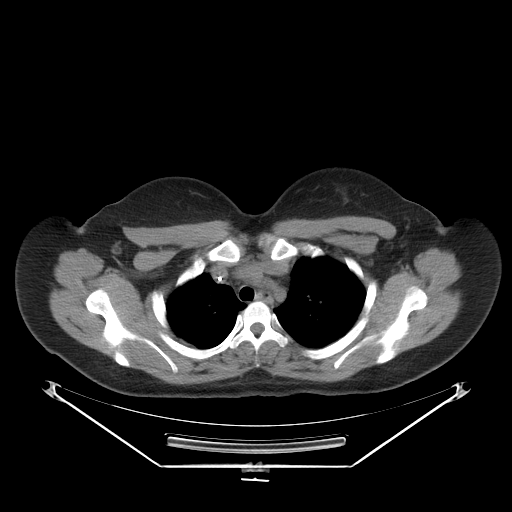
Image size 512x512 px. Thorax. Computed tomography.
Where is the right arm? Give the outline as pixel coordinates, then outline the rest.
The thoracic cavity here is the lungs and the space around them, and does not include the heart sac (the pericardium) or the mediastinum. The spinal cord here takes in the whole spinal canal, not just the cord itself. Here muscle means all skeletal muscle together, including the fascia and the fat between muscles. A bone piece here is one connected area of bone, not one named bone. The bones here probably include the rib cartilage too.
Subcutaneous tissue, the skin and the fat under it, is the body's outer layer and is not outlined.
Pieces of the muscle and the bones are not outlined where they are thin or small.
Outlined structures:
right arm: [[51,213],[62,213],[63,214],[67,215],[75,224],[75,230],[74,231],[74,234],[72,238],[66,244],[57,249],[54,249],[53,250],[41,250],[40,249],[37,249],[33,247],[27,241],[25,237],[25,234],[28,230],[28,229],[36,221]]
left arm: [[462,213],[470,213],[471,214],[476,215],[480,218],[483,219],[490,226],[494,232],[500,246],[497,248],[494,248],[489,250],[481,250],[480,249],[477,249],[473,247],[467,246],[461,243],[454,236],[452,232],[452,229],[451,228],[451,222],[456,216]]
spinal cord: [[254,323],[260,323],[263,326],[263,330],[258,335],[256,335],[251,330],[251,329],[250,328],[250,327]]
muscle: [[341,215],[384,219],[396,227],[395,236],[378,246],[376,262],[370,268],[381,282],[397,264],[433,246],[453,251],[462,265],[463,304],[443,332],[431,341],[397,355],[398,342],[408,333],[410,313],[422,310],[428,303],[427,293],[421,287],[411,285],[406,289],[394,319],[384,329],[364,336],[333,362],[333,368],[337,370],[350,354],[363,346],[381,347],[374,361],[376,365],[347,379],[318,382],[273,376],[257,368],[240,377],[197,384],[170,384],[130,368],[130,360],[119,349],[114,350],[112,360],[80,343],[58,325],[49,308],[53,267],[65,250],[83,247],[115,264],[132,267],[134,245],[125,237],[122,226],[162,227],[227,220],[237,229],[252,234],[280,220]]; inner edges: [[281,237],[297,246],[319,246],[325,256],[342,263],[344,256],[353,258],[361,267],[365,288],[375,280],[368,321],[348,346],[331,356],[312,359],[301,352],[307,347],[293,338],[283,347],[267,340],[257,354],[245,340],[235,348],[197,360],[161,339],[158,331],[162,331],[189,345],[157,320],[151,294],[160,290],[167,299],[195,255],[207,265],[206,253],[230,238],[241,248],[240,261],[256,256],[270,262],[273,245]], then [[98,288],[103,289],[107,293],[111,305],[121,323],[131,332],[149,339],[158,346],[176,365],[176,372],[173,372],[166,360],[145,342],[126,339],[119,346],[111,347],[103,336],[105,319],[100,314],[90,312],[85,305],[85,300],[87,296],[92,291]]
mediastinum: [[300,253],[303,255],[295,262],[290,272],[290,285],[286,299],[273,310],[261,300],[253,300],[247,304],[240,301],[229,285],[217,283],[209,273],[204,271],[206,266],[210,262],[225,262],[226,264],[230,265],[254,256],[270,262],[282,261],[297,256]]
torso: [[334,165],[383,179],[450,223],[461,244],[501,249],[502,277],[483,325],[459,353],[423,377],[392,390],[344,396],[133,397],[84,377],[26,327],[14,290],[24,235],[37,250],[57,250],[100,208],[168,175],[202,179],[245,212],[259,213],[300,176]]
bones 1: [[253,301],[261,301],[266,304],[292,338],[283,347],[270,339],[260,346],[256,354],[252,344],[245,340],[235,348],[229,347],[212,356],[197,360],[172,349],[158,335],[158,331],[162,331],[182,344],[199,349],[213,347],[228,335],[235,324],[238,313]] with a hole at [[254,323],[260,323],[263,326],[263,330],[258,335],[256,335],[251,330],[251,329],[250,328],[250,327]]
bones 2: [[411,286],[417,286],[426,293],[427,303],[422,309],[409,313],[407,333],[397,342],[397,354],[388,361],[377,364],[375,361],[382,347],[379,344],[370,343],[350,353],[337,369],[334,368],[334,362],[342,353],[364,337],[384,330],[395,319],[407,289]]
bones 3: [[98,288],[103,289],[107,293],[111,305],[121,323],[131,332],[149,339],[158,346],[176,365],[176,372],[173,372],[166,360],[145,342],[126,339],[119,346],[111,347],[103,336],[105,319],[100,314],[90,312],[85,305],[85,300],[87,296],[92,291]]
bones 4: [[371,280],[375,280],[376,282],[377,285],[376,287],[376,295],[368,314],[368,321],[356,338],[342,351],[325,358],[312,359],[303,355],[301,352],[301,350],[303,348],[317,349],[324,347],[342,337],[355,324],[360,317],[360,313],[365,300],[366,287]]
bones 5: [[281,237],[286,239],[288,242],[290,242],[297,246],[304,243],[310,243],[319,246],[323,250],[324,255],[312,258],[309,256],[304,255],[300,251],[297,255],[292,256],[289,258],[286,258],[282,260],[272,260],[270,258],[270,253],[272,250],[273,245]]
bones 6: [[229,238],[232,239],[241,248],[241,256],[240,257],[239,260],[235,263],[230,263],[229,262],[226,262],[225,261],[209,261],[206,257],[206,253],[209,250],[210,250],[218,244],[221,243],[226,239],[228,239]]
bones 7: [[195,255],[198,255],[199,256],[201,256],[206,262],[206,265],[205,266],[205,268],[203,272],[202,272],[196,277],[188,280],[183,284],[177,287],[175,287],[175,283],[177,280],[177,278],[178,276],[187,267],[188,267],[192,263],[194,259],[194,256]]
bones 8: [[154,290],[160,290],[163,294],[163,296],[165,300],[165,306],[166,307],[166,318],[167,319],[167,321],[169,325],[169,327],[168,328],[165,328],[163,327],[160,324],[160,323],[157,320],[153,312],[153,310],[152,309],[152,301],[151,300],[151,294]]
bones 9: [[344,256],[349,256],[350,257],[353,258],[360,265],[360,266],[361,267],[361,269],[363,272],[363,275],[364,276],[364,280],[363,281],[363,282],[362,282],[356,276],[356,275],[347,267],[347,266],[344,263],[344,262],[343,261],[343,257]]
bones 10: [[115,350],[119,350],[120,351],[121,351],[124,354],[124,355],[129,360],[129,361],[130,362],[130,366],[129,367],[126,367],[125,366],[120,365],[119,364],[118,364],[114,360],[114,359],[113,358],[113,356],[114,355],[114,352],[115,351]]
thoracic cavity 1: [[303,256],[312,259],[317,257],[327,256],[343,263],[363,284],[365,288],[364,300],[359,315],[354,324],[342,336],[324,346],[317,348],[307,347],[296,341],[285,330],[274,311],[275,308],[281,305],[287,299],[288,292],[291,285],[291,272],[296,262]]
thoracic cavity 2: [[204,272],[209,274],[213,281],[217,284],[229,286],[232,289],[237,299],[246,305],[237,313],[232,328],[220,342],[210,347],[199,348],[195,346],[190,346],[187,342],[176,335],[172,330],[167,318],[166,299],[168,298],[175,288],[196,278]]